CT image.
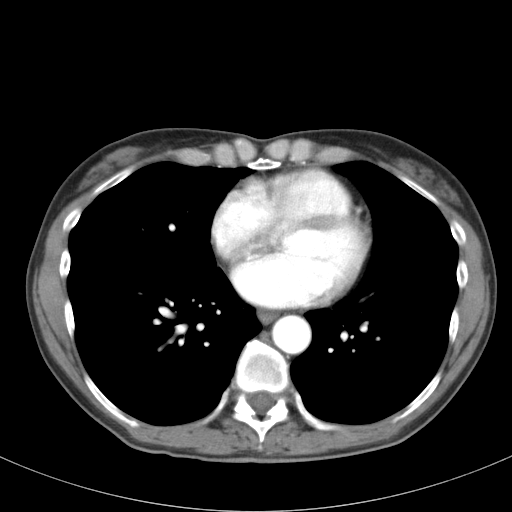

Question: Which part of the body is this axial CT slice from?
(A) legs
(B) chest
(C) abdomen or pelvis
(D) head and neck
Answer: (B) chest
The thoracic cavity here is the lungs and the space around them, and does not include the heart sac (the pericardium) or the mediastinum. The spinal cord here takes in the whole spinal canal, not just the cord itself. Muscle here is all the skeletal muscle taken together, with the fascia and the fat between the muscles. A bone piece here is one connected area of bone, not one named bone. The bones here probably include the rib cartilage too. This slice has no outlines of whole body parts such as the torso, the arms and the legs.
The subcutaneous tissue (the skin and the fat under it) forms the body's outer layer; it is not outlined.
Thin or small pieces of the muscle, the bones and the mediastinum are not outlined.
{"muscle":[[[108,177],[93,189],[90,196],[94,198],[83,209],[76,206],[64,217],[62,231],[69,234],[67,247],[60,254],[58,273],[62,279],[66,279],[68,297],[63,302],[63,316],[67,333],[71,340],[74,339],[85,369],[83,381],[111,414],[132,428],[140,425],[138,420],[156,426],[179,425],[196,420],[204,425],[221,413],[233,395],[231,418],[255,431],[258,437],[256,448],[261,451],[267,432],[275,424],[289,419],[290,398],[304,421],[322,431],[341,430],[339,424],[376,422],[402,409],[391,420],[395,423],[415,411],[434,392],[442,378],[443,370],[439,367],[448,343],[452,344],[456,338],[460,323],[456,305],[458,291],[468,281],[468,267],[459,258],[458,247],[466,243],[466,232],[455,218],[447,221],[438,207],[438,199],[422,186],[457,211],[470,224],[482,246],[483,269],[489,276],[489,312],[479,343],[457,377],[428,409],[395,435],[377,442],[320,453],[266,455],[251,450],[209,454],[136,440],[98,409],[54,360],[43,339],[32,295],[35,269],[41,264],[53,221],[68,203]],[[347,148],[349,148],[356,151],[363,152],[366,154],[368,154],[372,156],[374,158],[382,160],[401,170],[408,176],[417,182],[411,178],[408,177],[406,175],[401,173],[397,173],[394,175],[385,169],[366,160],[349,160],[352,155],[352,151],[350,149]],[[167,149],[179,149],[176,149],[172,151],[172,153],[174,155],[176,161],[173,160],[161,160],[160,161],[156,161],[144,165],[137,169],[136,169],[136,167],[134,165],[129,165],[125,167],[132,162],[138,160],[147,155],[152,154],[158,151],[166,150]]],"spinal_cord":[[[258,391],[266,391],[269,393],[273,394],[275,397],[275,402],[273,404],[273,405],[271,406],[265,412],[265,413],[263,415],[258,415],[255,411],[255,410],[249,404],[247,400],[247,397],[248,396],[248,394],[250,393],[253,393],[254,392],[257,392]]],"bones":[{"outer":[[253,338],[284,357],[290,379],[305,408],[323,421],[340,425],[341,429],[322,430],[309,425],[290,397],[287,401],[288,419],[275,423],[266,432],[259,450],[256,431],[232,418],[233,394],[215,418],[204,424],[198,423],[218,404],[231,382],[245,344]],"hole":[[258,391],[266,391],[269,393],[273,394],[275,397],[275,402],[273,404],[273,405],[271,406],[265,412],[265,413],[263,415],[258,415],[255,411],[255,410],[249,404],[247,400],[247,397],[248,396],[248,394],[250,393],[253,393],[254,392],[257,392]]},[[237,138],[249,141],[259,156],[266,155],[267,144],[281,139],[307,140],[314,153],[342,147],[351,155],[335,163],[286,158],[270,169],[252,169],[240,161],[234,167],[213,161],[190,165],[177,161],[173,151],[191,148],[211,153],[216,145],[232,146]],[[84,372],[86,372],[88,374],[95,385],[112,403],[113,403],[129,417],[132,417],[136,419],[139,423],[139,425],[136,427],[132,427],[127,423],[120,420],[112,413],[111,413],[93,395],[88,388],[87,385],[84,381],[84,378],[83,377],[83,373]],[[440,369],[442,370],[441,378],[438,384],[434,389],[433,392],[432,392],[430,395],[415,409],[415,410],[408,414],[405,417],[395,422],[392,422],[392,420],[394,417],[397,414],[399,414],[404,409],[404,408],[424,389],[424,388],[429,383],[438,370]],[[129,166],[134,166],[135,167],[135,170],[133,172],[132,172],[118,183],[102,191],[95,197],[92,197],[91,196],[91,193],[95,188],[96,188],[99,185],[100,185],[103,182],[107,180],[110,177],[111,177],[116,173],[119,172],[121,170]],[[397,174],[401,174],[402,175],[404,175],[417,183],[420,186],[421,186],[424,189],[433,195],[437,199],[439,202],[439,204],[437,206],[429,199],[426,198],[417,192],[414,189],[410,187],[407,184],[398,178],[396,176]],[[67,298],[69,299],[70,303],[71,304],[71,307],[72,308],[72,312],[73,313],[73,320],[74,321],[74,325],[75,326],[74,328],[74,338],[73,339],[71,339],[68,333],[67,327],[66,326],[66,323],[65,322],[65,317],[64,316],[64,302]],[[79,206],[82,208],[82,211],[80,214],[80,216],[77,222],[75,224],[75,225],[70,230],[69,232],[64,232],[63,231],[63,222],[64,221],[64,219],[65,217],[71,210]],[[452,219],[455,219],[461,225],[461,226],[463,228],[463,229],[465,232],[465,243],[463,245],[462,245],[461,246],[459,246],[457,244],[455,239],[453,237],[453,236],[452,235],[452,233],[451,232],[451,230],[450,229],[450,226],[449,225],[449,222]],[[455,305],[456,306],[457,306],[457,308],[458,309],[458,314],[459,315],[459,323],[458,324],[458,328],[457,329],[457,332],[456,333],[455,338],[452,343],[449,343],[449,324],[450,323],[450,319],[451,318],[451,314],[452,313],[453,308],[455,306]]],"mediastinum":[[[253,306],[257,308],[261,308],[267,310],[273,310],[274,311],[284,310],[309,310],[310,309],[319,309],[311,309],[310,310],[305,312],[304,316],[311,326],[312,339],[309,346],[305,351],[296,357],[289,365],[285,357],[277,349],[255,337],[255,336],[261,331],[262,325],[256,317],[255,309]],[[287,160],[289,162],[294,162],[298,164],[300,164],[302,160],[319,162],[322,164],[335,164],[337,163],[333,168],[334,170],[347,177],[356,186],[363,198],[362,198],[345,177],[332,171],[330,169],[320,165],[288,165],[285,167],[280,167],[283,162]]],"thoracic_cavity":[[[161,161],[251,169],[215,210],[209,243],[216,266],[237,295],[253,307],[261,325],[260,331],[244,344],[230,382],[215,407],[202,418],[172,425],[156,425],[129,415],[96,385],[78,351],[67,289],[71,265],[69,235],[83,210],[99,194],[136,170]],[[347,161],[369,162],[433,203],[448,223],[458,248],[458,290],[437,371],[403,408],[359,424],[331,422],[311,413],[290,376],[290,365],[313,339],[306,312],[332,309],[348,296],[361,281],[371,257],[374,234],[370,209],[357,186],[334,168]]],"pericardium":[[[288,166],[320,166],[345,178],[363,199],[370,212],[373,240],[367,263],[353,289],[343,299],[329,307],[274,310],[257,307],[244,301],[238,295],[223,270],[216,263],[216,258],[210,243],[211,226],[216,210],[228,192],[238,181],[252,174],[267,173]]]}